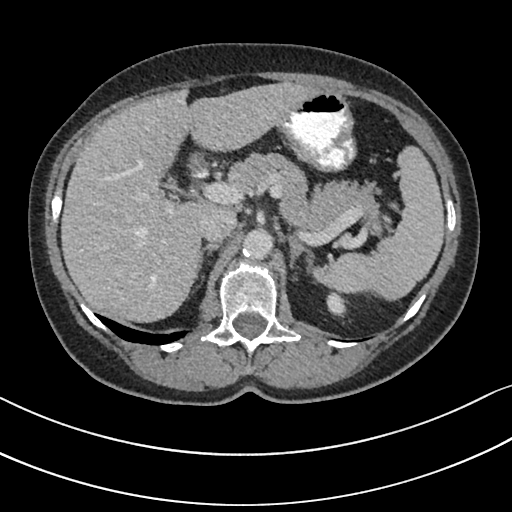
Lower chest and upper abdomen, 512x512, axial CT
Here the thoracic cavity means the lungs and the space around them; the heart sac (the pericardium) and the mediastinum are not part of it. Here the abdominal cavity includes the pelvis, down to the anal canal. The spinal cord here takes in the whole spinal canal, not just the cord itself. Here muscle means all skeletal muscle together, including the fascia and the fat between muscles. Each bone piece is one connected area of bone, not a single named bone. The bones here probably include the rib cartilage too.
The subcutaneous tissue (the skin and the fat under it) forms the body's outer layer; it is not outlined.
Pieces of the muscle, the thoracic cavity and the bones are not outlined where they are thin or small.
Outlines:
torso: 211,42 304,44 379,65 407,83 464,150 480,216 473,284 448,332 396,376 353,394 308,403 277,403 248,391 219,405 170,404 96,380 70,357 52,330 34,286 27,232 30,182 44,146 115,73 170,49
spinal cord: 246,312 248,312 249,313 257,313 266,320 266,325 264,329 258,335 257,335 253,338 248,338 240,334 235,329 233,325 233,321 234,319 236,318 239,315 239,314 241,313 245,313
muscle: 267,71 315,73 316,74 326,75 343,79 353,84 374,89 387,94 401,101 404,104 416,111 427,121 445,149 446,153 449,157 449,159 452,164 452,168 455,176 457,189 459,192 459,196 460,197 461,231 458,238 458,246 453,264 449,268 443,280 439,285 424,317 421,320 421,322 407,334 401,337 388,348 383,350 363,369 347,378 327,385 314,388 292,388 291,389 277,388 268,385 257,377 252,375 242,376 237,381 227,386 215,389 210,389 205,391 186,391 156,384 149,380 144,379 136,374 116,352 103,345 96,338 88,333 77,323 69,308 68,302 60,286 60,283 53,273 51,265 49,262 48,254 47,253 47,246 45,242 45,229 44,228 45,194 53,162 66,141 78,129 99,111 123,98 131,96 134,94 159,85 164,85 172,82 178,82 188,78 203,78 207,75 217,76 218,75 231,74 232,73 266,72, around a hole outlined by 245,76 315,86 375,103 395,115 431,158 444,200 449,196 453,201 455,226 446,232 441,257 423,288 425,299 408,320 398,319 356,345 336,348 294,318 282,289 276,318 301,337 261,343 249,357 240,342 219,346 200,340 221,321 218,296 199,325 177,340 183,346 171,352 106,332 83,312 51,217 61,178 114,115 162,92
thoracic cavity: 97,316 101,316 104,318 107,318 109,320 120,324 122,326 125,326 128,328 149,334 172,334 178,332 185,332 186,333 177,340 170,341 166,343 161,343 158,345 157,344 134,342 133,341 126,340 112,331
bones 1: 239,261 268,269 277,285 276,318 282,325 288,326 300,334 301,337 299,340 261,343 255,348 250,357 246,348 240,342 219,346 211,341 200,340 202,335 216,328 221,321 220,281 225,272 233,270 239,265 with a hole at 246,312 248,312 249,313 257,313 266,320 266,325 264,329 258,335 257,335 253,338 248,338 240,334 235,329 233,325 233,321 234,319 236,318 239,315 239,314 241,313 245,313
bones 2: 61,178 63,179 63,181 61,185 61,187 62,188 62,192 61,193 61,209 59,213 59,216 57,220 57,223 54,223 52,222 52,218 51,217 51,201 57,187 60,185 60,180
bones 3: 80,302 83,302 93,312 93,313 109,329 109,331 108,332 106,332 105,331 104,331 101,328 99,328 98,327 95,326 89,320 89,319 86,316 86,315 83,312 83,311 81,309 81,308 79,305 79,303
bones 4: 448,196 449,196 450,197 451,197 451,198 453,201 453,206 454,207 454,209 455,210 455,226 454,227 454,229 452,231 449,231 449,230 447,227 447,212 446,211 446,202 445,201 446,200 446,198
bones 5: 423,292 425,292 426,294 426,296 425,297 425,299 421,304 419,309 412,317 411,317 408,320 401,323 400,322 400,319 405,314 407,310 414,303 414,302 415,302 416,300 418,299 418,298
bones 6: 329,339 333,339 334,340 341,340 342,341 357,341 358,342 358,343 356,345 353,345 352,346 349,346 348,347 341,347 340,348 336,348 335,347 333,347 332,346 331,346 330,345 328,345 327,344 326,341
abdominal cavity: 245,76 315,86 375,103 399,119 434,163 445,202 445,245 423,291 386,329 357,340 318,333 294,318 267,267 243,260 223,273 219,295 188,332 149,333 96,315 70,279 57,238 64,180 96,130 162,92